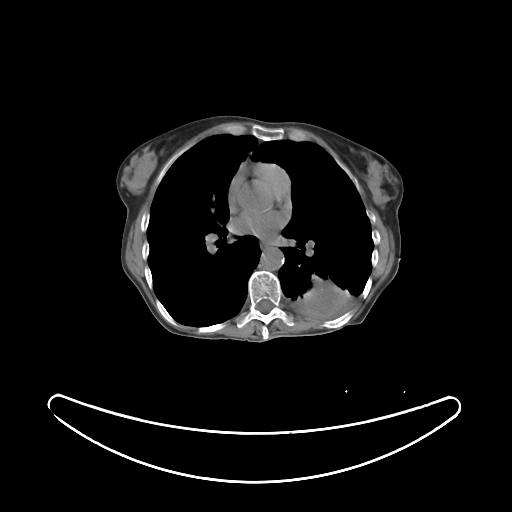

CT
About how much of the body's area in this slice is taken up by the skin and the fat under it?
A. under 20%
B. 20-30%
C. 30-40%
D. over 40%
Answer: A. under 20%
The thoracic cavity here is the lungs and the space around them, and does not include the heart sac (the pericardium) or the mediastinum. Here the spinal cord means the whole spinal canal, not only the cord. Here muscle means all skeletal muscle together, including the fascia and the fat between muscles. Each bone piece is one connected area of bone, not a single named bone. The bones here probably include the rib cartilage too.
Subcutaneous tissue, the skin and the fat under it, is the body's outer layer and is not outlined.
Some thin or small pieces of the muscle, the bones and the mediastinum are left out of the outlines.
muscle 1: (305, 130) (323, 139) (352, 168) (359, 180) (367, 188) (371, 200) (392, 233) (394, 240) (394, 261) (390, 272) (360, 314) (349, 322) (354, 314) (351, 309) (356, 303) (358, 296) (365, 299) (371, 289) (373, 280) (370, 274) (372, 267) (374, 268) (379, 260) (378, 250) (374, 246) (380, 242) (381, 236) (378, 230) (371, 227) (371, 224) (376, 222) (376, 217) (365, 208) (359, 193) (361, 189) (357, 179) (338, 158) (318, 143) (308, 140) (309, 135)
muscle 2: (159, 171) (154, 182) (156, 188) (150, 209) (144, 212) (140, 219) (140, 231) (146, 233) (146, 239) (141, 246) (141, 257) (147, 261) (144, 267) (144, 278) (148, 288) (153, 290) (156, 296) (155, 305) (157, 311) (141, 284) (129, 270) (125, 261) (125, 251) (131, 226)
muscle 3: (285, 299) (287, 301) (286, 302) (289, 307) (294, 312) (309, 318) (323, 320) (320, 325) (325, 328) (310, 329) (298, 332) (282, 332) (270, 335) (268, 325) (274, 319) (280, 319) (284, 324) (289, 327) (292, 327) (295, 325) (293, 317) (288, 314) (282, 306) (282, 303)
muscle 4: (234, 317) (237, 321) (236, 326) (238, 328) (242, 328) (252, 320) (260, 321) (262, 323) (261, 337) (258, 338) (230, 336) (218, 333) (213, 334) (193, 334) (174, 327) (176, 327) (179, 323) (186, 326) (196, 327) (196, 332) (197, 333) (198, 334) (205, 334) (213, 333) (224, 328) (227, 325) (228, 320)
muscle 5: (218, 124) (220, 124) (218, 126) (218, 128) (222, 133) (217, 133) (216, 134) (210, 135) (207, 137) (205, 137) (201, 139) (194, 144) (188, 144) (175, 152) (168, 159) (168, 158) (176, 150) (180, 148) (187, 141) (188, 141) (199, 133) (204, 131) (206, 129) (208, 129)
mediastinum 1: (280, 232) (281, 232) (281, 236) (283, 238) (282, 241) (283, 242) (282, 250) (285, 256) (285, 262) (284, 264) (279, 268) (277, 275) (267, 269) (255, 269) (259, 262) (260, 256) (261, 255) (261, 251) (259, 247) (259, 242) (257, 238) (261, 240) (273, 240) (279, 235)
mediastinum 2: (250, 151) (251, 151) (251, 154) (250, 155) (250, 159) (252, 161) (245, 161) (243, 163) (242, 163) (241, 164) (241, 165) (240, 165) (240, 164) (241, 163) (241, 162) (242, 162) (243, 161) (244, 161) (247, 158) (247, 157) (248, 156) (248, 153)
torso: (222, 114) (267, 121) (303, 121) (325, 127) (377, 151) (401, 174) (399, 268) (360, 324) (321, 335) (276, 337) (262, 342) (180, 336) (169, 332) (156, 320) (124, 273) (120, 248) (126, 208) (115, 183) (121, 161) (136, 146) (162, 132) (195, 119)
pericardium: (259, 161) (270, 164) (275, 164) (279, 166) (285, 170) (291, 181) (290, 219) (287, 224) (279, 232) (278, 235) (273, 239) (261, 239) (250, 234) (239, 235) (234, 233) (230, 229) (229, 225) (230, 209) (228, 203) (228, 190) (232, 178) (240, 166) (245, 162) (258, 162)
spinal cord: (264, 299) (265, 299) (266, 300) (268, 300) (269, 301) (270, 301) (273, 304) (273, 307) (268, 312) (267, 312) (266, 313) (264, 313) (263, 312) (262, 312) (261, 311) (260, 311) (257, 308) (256, 308) (256, 305) (260, 301) (261, 301) (262, 300) (263, 300)
thoracic cavity: (217, 134) (251, 135) (257, 146) (314, 142) (351, 180) (374, 245) (349, 310) (324, 320) (288, 304) (278, 273) (292, 181) (279, 165) (253, 161) (251, 150) (227, 189) (227, 229) (255, 237) (260, 251) (238, 314) (186, 325) (157, 298) (146, 232) (156, 189) (183, 153)
bones 1: (254, 270) (267, 270) (277, 276) (285, 298) (281, 306) (292, 317) (294, 322) (294, 325) (289, 326) (280, 318) (274, 318) (267, 325) (269, 334) (267, 339) (262, 337) (263, 323) (260, 320) (252, 319) (242, 327) (238, 327) (238, 321) (235, 319) (246, 302) (248, 280), around a hole outlined by (264, 299) (265, 299) (266, 300) (268, 300) (269, 301) (270, 301) (273, 304) (273, 307) (268, 312) (267, 312) (266, 313) (264, 313) (263, 312) (262, 312) (261, 311) (260, 311) (257, 308) (256, 308) (256, 305) (260, 301) (261, 301) (262, 300) (263, 300)
bones 2: (234, 121) (252, 122) (254, 124) (258, 124) (266, 128) (297, 127) (303, 129) (306, 132) (308, 135) (308, 139) (302, 141) (296, 141) (291, 139) (277, 139) (264, 141) (258, 139) (251, 134) (234, 135) (229, 133) (223, 133) (219, 128) (219, 126) (226, 122) (233, 122)
bones 3: (350, 310) (351, 310) (353, 312) (353, 314) (352, 315) (351, 318) (348, 321) (348, 322) (347, 323) (346, 323) (341, 327) (340, 327) (339, 328) (326, 328) (321, 325) (321, 324) (324, 321) (325, 321) (326, 320) (331, 320) (332, 319) (334, 319)
bones 4: (188, 145) (192, 145) (188, 149) (183, 152) (172, 163) (172, 164) (170, 165) (170, 166) (167, 169) (166, 172) (162, 177) (158, 185) (156, 187) (155, 187) (155, 182) (156, 181) (156, 179) (164, 165) (175, 153) (176, 153) (178, 151)
bones 5: (156, 298) (160, 302) (160, 303) (163, 306) (163, 307) (168, 312) (170, 316) (176, 322) (177, 322) (177, 325) (176, 326) (174, 326) (172, 325) (170, 323) (166, 321) (163, 318) (163, 317) (157, 309) (157, 306) (156, 305)
bones 6: (227, 320) (228, 321) (227, 322) (226, 325) (224, 327) (223, 327) (216, 331) (214, 331) (213, 332) (206, 332) (205, 333) (198, 333) (197, 332) (197, 327) (208, 327) (209, 326) (211, 326) (212, 325) (215, 325) (216, 324) (219, 324) (220, 323) (223, 323)
bones 7: (333, 157) (338, 159) (339, 161) (349, 170) (351, 174) (356, 179) (358, 183) (359, 188) (360, 189) (360, 191) (359, 192) (359, 191) (356, 188) (352, 180) (348, 176) (348, 175) (344, 171) (344, 170) (336, 162) (336, 161)
bones 8: (147, 212) (149, 212) (149, 214) (150, 215) (150, 216) (149, 217) (149, 222) (148, 223) (148, 225) (147, 226) (147, 229) (146, 230) (146, 231) (145, 232) (143, 232) (142, 231) (141, 231) (141, 219) (142, 218) (142, 216) (143, 215) (143, 214) (144, 213) (146, 213)
bones 9: (147, 265) (149, 267) (149, 268) (150, 269) (150, 270) (151, 271) (151, 275) (152, 276) (152, 289) (150, 289) (149, 288) (149, 287) (148, 286) (148, 284) (147, 283) (147, 282) (146, 281) (146, 279) (145, 278) (145, 267)
bones 10: (369, 276) (370, 276) (371, 277) (371, 279) (372, 280) (372, 283) (371, 284) (370, 289) (369, 290) (369, 291) (368, 292) (366, 297) (365, 298) (363, 298) (360, 295) (360, 294) (362, 292) (362, 291) (365, 286) (365, 284) (366, 283) (366, 282) (367, 281)
bones 11: (146, 240) (147, 240) (147, 241) (148, 242) (148, 243) (149, 244) (149, 253) (148, 254) (148, 256) (147, 257) (147, 259) (146, 260) (145, 260) (144, 259) (143, 259) (143, 258) (142, 257) (142, 246) (143, 245) (143, 244) (144, 243) (144, 242)